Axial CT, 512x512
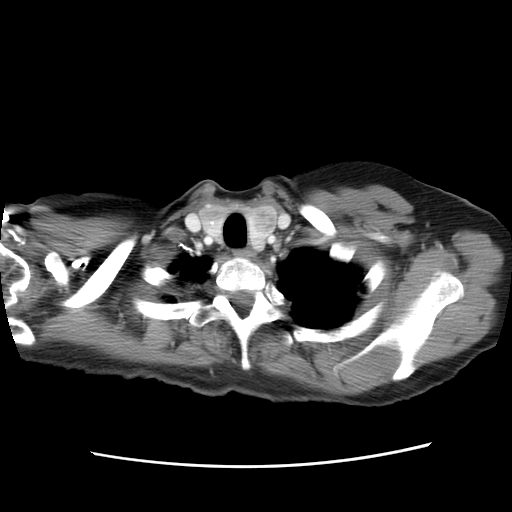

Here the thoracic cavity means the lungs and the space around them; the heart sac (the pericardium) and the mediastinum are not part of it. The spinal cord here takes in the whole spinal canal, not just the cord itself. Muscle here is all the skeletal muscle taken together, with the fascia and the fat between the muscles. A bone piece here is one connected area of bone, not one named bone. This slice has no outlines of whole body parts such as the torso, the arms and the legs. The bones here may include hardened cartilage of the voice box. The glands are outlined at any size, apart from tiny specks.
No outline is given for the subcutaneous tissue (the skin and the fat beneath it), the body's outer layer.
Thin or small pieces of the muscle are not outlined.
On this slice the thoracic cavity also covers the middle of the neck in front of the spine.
The thyroid glands appear in 2 outlined pieces: piece 1: [[260,205],[270,205],[272,206],[275,208],[277,211],[277,215],[275,219],[274,226],[271,232],[265,239],[265,243],[263,248],[260,251],[256,251],[252,248],[249,243],[247,222],[246,221],[246,218],[241,209],[241,207],[242,206],[259,206]]; piece 2: [[208,203],[219,204],[225,206],[235,206],[233,207],[233,209],[227,215],[223,221],[221,227],[221,235],[222,236],[222,242],[221,243],[216,242],[214,238],[209,233],[205,231],[203,227],[202,221],[198,214],[198,211],[200,208],[205,204]]. The bones appear in 11 outlined pieces: piece 1: [[236,256],[272,270],[275,286],[291,303],[283,308],[285,320],[264,323],[249,337],[250,369],[241,367],[239,340],[227,321],[216,319],[197,327],[185,318],[143,317],[133,307],[133,297],[173,304],[199,298],[208,301],[214,289],[208,270],[214,261]], around a hole outlined by [[237,291],[248,291],[252,294],[252,296],[253,297],[253,302],[252,303],[252,305],[250,309],[248,311],[247,314],[243,316],[242,316],[235,309],[235,308],[231,303],[229,299],[229,297],[228,296],[228,292],[233,293]]; piece 2: [[441,271],[449,272],[460,280],[463,296],[438,313],[428,337],[414,356],[413,363],[416,368],[408,377],[399,381],[392,380],[401,359],[400,352],[383,345],[378,345],[358,358],[344,363],[335,372],[334,367],[337,364],[355,355],[398,320],[435,274]]; piece 3: [[133,234],[135,234],[137,237],[136,238],[136,242],[133,248],[116,274],[112,282],[99,297],[94,301],[87,304],[82,309],[72,313],[70,313],[70,310],[68,308],[66,308],[60,305],[60,302],[67,298],[86,281],[120,241],[124,238]]; piece 4: [[383,300],[384,304],[379,317],[371,327],[361,334],[346,338],[340,341],[327,343],[315,341],[300,342],[294,341],[291,345],[287,345],[284,343],[283,336],[285,332],[290,331],[296,325],[300,325],[307,328],[317,328],[323,330],[333,329],[359,316]]; piece 5: [[0,241],[2,242],[6,247],[9,248],[21,256],[27,262],[30,270],[30,279],[27,287],[25,290],[20,292],[18,294],[18,301],[17,303],[9,307],[7,310],[6,310],[5,308],[5,304],[3,298],[3,292],[2,291],[1,276],[0,275]]; piece 6: [[302,203],[309,203],[310,204],[312,204],[319,209],[320,209],[327,215],[327,216],[333,223],[333,225],[335,227],[335,229],[336,230],[336,234],[334,238],[326,237],[324,233],[317,229],[299,212],[298,210],[298,207],[299,205]]; piece 7: [[52,251],[56,252],[59,255],[60,258],[68,270],[70,281],[69,282],[69,286],[67,289],[66,289],[63,286],[60,286],[58,285],[56,283],[56,281],[53,277],[52,274],[49,271],[48,271],[45,267],[45,265],[44,264],[45,257],[48,253]]; piece 8: [[7,315],[10,315],[11,316],[13,316],[17,318],[21,318],[29,326],[30,329],[32,331],[35,337],[35,342],[32,345],[22,345],[21,344],[15,343],[15,341],[13,338],[12,332],[11,331],[11,329],[9,325],[9,322],[8,321]]; piece 9: [[379,257],[384,260],[386,263],[386,266],[387,267],[386,269],[386,272],[385,273],[384,277],[382,279],[378,286],[371,293],[368,293],[366,292],[366,289],[364,286],[364,284],[362,282],[362,279],[366,272],[369,269],[369,268],[375,262],[377,258]]; piece 10: [[146,264],[148,264],[151,266],[153,266],[155,264],[157,264],[162,268],[165,269],[169,273],[173,274],[173,275],[172,275],[170,278],[170,281],[164,286],[156,286],[150,283],[148,283],[142,278],[141,274],[140,273],[141,272],[142,268]]; piece 11: [[334,241],[339,241],[341,242],[344,245],[352,245],[354,246],[355,248],[355,250],[353,254],[353,257],[352,259],[349,262],[341,262],[337,260],[334,260],[332,259],[329,256],[329,250],[331,247],[331,245],[332,243]]. The thoracic cavity is outlined by [[236,206],[256,252],[278,212],[285,212],[296,231],[332,260],[361,268],[365,291],[351,319],[329,329],[298,324],[273,270],[237,255],[214,260],[196,296],[166,301],[174,275],[167,269],[192,235],[186,216],[197,212],[204,231],[221,244],[224,221]]. The spinal cord is outlined by [[237,291],[248,291],[252,294],[252,296],[253,297],[253,302],[252,303],[252,305],[250,309],[248,311],[247,314],[243,316],[242,316],[235,309],[235,308],[231,303],[229,299],[229,297],[228,296],[228,292],[233,293]]. The muscle appears in 2 outlined pieces: piece 1: [[265,180],[291,192],[380,184],[413,205],[415,233],[487,233],[504,253],[492,291],[497,319],[469,348],[416,369],[437,316],[464,296],[461,280],[441,270],[398,319],[333,367],[389,347],[400,356],[391,382],[336,395],[252,370],[250,337],[285,321],[286,307],[297,324],[282,336],[287,346],[371,328],[383,299],[352,315],[388,267],[379,256],[364,272],[351,261],[355,246],[339,240],[318,248],[270,204],[211,202],[185,216],[191,235],[166,269],[140,270],[148,284],[166,286],[165,301],[130,301],[143,318],[227,322],[241,369],[127,362],[65,342],[23,346],[36,337],[6,311],[31,270],[0,240],[4,212],[47,205],[80,218],[154,222],[203,184],[249,199]], around holes outlined by [[133,234],[135,234],[137,237],[136,238],[136,242],[133,248],[116,274],[112,282],[99,297],[94,301],[87,304],[82,309],[72,313],[70,313],[70,310],[68,308],[66,308],[60,305],[60,302],[67,298],[86,281],[120,241],[124,238]] and by [[302,203],[309,203],[310,204],[312,204],[319,209],[320,209],[327,215],[327,216],[333,223],[333,225],[335,227],[335,229],[336,230],[336,234],[334,238],[326,237],[324,233],[317,229],[299,212],[298,210],[298,207],[299,205]] and by [[52,251],[56,252],[59,255],[60,258],[68,270],[70,281],[69,282],[69,286],[67,289],[66,289],[63,286],[60,286],[58,285],[56,283],[56,281],[53,277],[52,274],[49,271],[48,271],[45,267],[45,265],[44,264],[45,257],[48,253]]; piece 2: [[211,276],[213,277],[213,289],[211,292],[211,295],[209,297],[209,299],[208,300],[206,300],[201,297],[199,297],[195,299],[191,299],[199,295],[204,290],[206,286],[206,282],[207,280],[211,277]].